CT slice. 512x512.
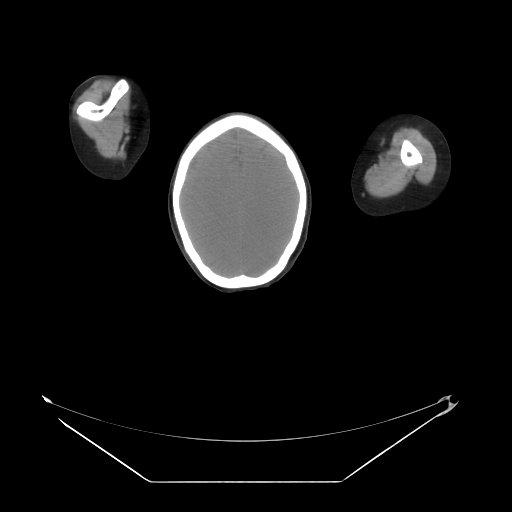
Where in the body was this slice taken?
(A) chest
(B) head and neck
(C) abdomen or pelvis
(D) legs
(B) head and neck
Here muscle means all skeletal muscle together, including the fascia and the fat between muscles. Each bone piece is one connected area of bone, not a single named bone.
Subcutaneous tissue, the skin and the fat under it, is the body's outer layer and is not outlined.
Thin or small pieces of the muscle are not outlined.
{"left_arm":[[[397,112],[411,112],[424,116],[435,123],[443,132],[448,142],[451,153],[451,173],[449,181],[439,198],[426,209],[413,213],[398,213],[378,217],[369,216],[363,213],[356,206],[353,200],[350,187],[352,169],[358,153],[373,128],[383,118],[390,114]]],"brain":[[[235,128],[245,130],[260,138],[271,145],[283,156],[285,164],[292,176],[297,191],[297,204],[290,236],[276,261],[257,275],[240,273],[227,276],[214,271],[204,262],[196,249],[190,237],[181,210],[181,192],[193,158],[203,146],[225,132]]],"muscle":[{"outer":[[400,126],[412,126],[418,128],[432,143],[436,152],[437,159],[437,167],[434,178],[428,185],[418,184],[411,186],[401,193],[384,200],[365,200],[360,195],[360,186],[363,180],[365,171],[369,166],[382,139],[387,135],[391,134],[395,129]],"hole":[[404,139],[407,139],[409,140],[418,149],[422,157],[422,161],[420,163],[416,165],[414,165],[413,166],[410,166],[409,167],[403,164],[403,163],[401,161],[401,158],[400,157],[400,150],[401,149],[401,145],[402,144],[402,141]]},[[99,78],[114,78],[117,80],[102,102],[96,103],[86,99],[77,105],[75,112],[83,119],[99,122],[105,118],[130,89],[129,82],[136,95],[134,144],[127,159],[119,164],[111,164],[100,157],[91,140],[73,118],[72,108],[75,100],[92,82]]],"head":[[[234,110],[251,112],[261,116],[270,122],[287,138],[303,163],[309,177],[312,190],[312,211],[305,245],[290,271],[277,283],[267,288],[229,294],[217,291],[200,281],[182,257],[170,228],[167,213],[167,191],[172,170],[186,142],[208,120],[224,112]]],"bones":[{"outer":[[232,113],[245,113],[254,116],[269,125],[283,138],[293,149],[297,157],[305,180],[307,192],[306,213],[301,236],[283,270],[266,283],[240,288],[218,286],[207,280],[200,273],[184,249],[172,209],[172,187],[176,168],[182,152],[190,140],[205,126]],"hole":[[235,128],[245,130],[260,138],[271,145],[283,156],[285,164],[292,176],[297,191],[297,204],[290,236],[276,261],[257,275],[240,273],[227,276],[214,271],[204,262],[196,249],[190,237],[181,210],[181,192],[193,158],[203,146],[225,132]]},[[121,78],[125,79],[128,82],[129,89],[118,100],[110,112],[105,117],[99,121],[92,121],[91,120],[83,118],[77,114],[76,112],[77,107],[78,105],[83,101],[88,100],[96,104],[100,104],[102,103],[109,95],[111,91],[111,89],[114,84]],[[404,139],[407,139],[409,140],[418,149],[422,157],[422,161],[420,163],[416,165],[414,165],[413,166],[410,166],[409,167],[403,164],[403,163],[401,161],[401,158],[400,157],[400,150],[401,149],[401,145],[402,144],[402,141]]],"right_arm":[[[115,72],[122,72],[132,75],[141,83],[145,89],[150,104],[150,132],[147,146],[131,172],[125,178],[121,180],[112,181],[100,179],[94,176],[86,170],[78,160],[74,152],[69,135],[68,129],[68,100],[74,88],[86,78],[94,74],[114,73]]]}